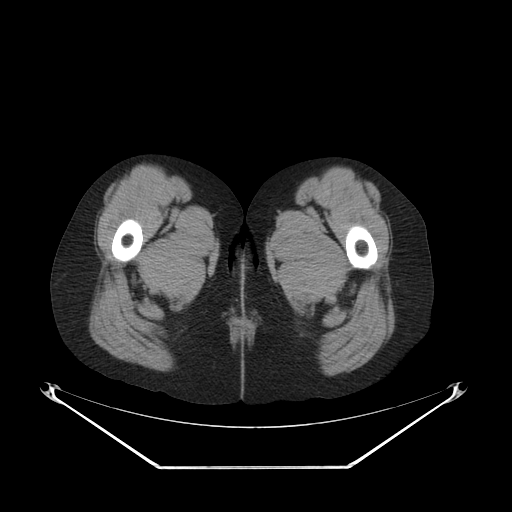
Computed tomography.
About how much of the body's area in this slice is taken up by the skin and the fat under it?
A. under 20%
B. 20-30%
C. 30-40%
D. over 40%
Answer: D. over 40%
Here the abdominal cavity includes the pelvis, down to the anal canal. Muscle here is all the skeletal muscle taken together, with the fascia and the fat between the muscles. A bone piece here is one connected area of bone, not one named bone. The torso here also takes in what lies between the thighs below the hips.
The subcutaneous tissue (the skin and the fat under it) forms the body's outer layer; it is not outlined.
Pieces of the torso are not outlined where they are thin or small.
{"bones":[[[354,225],[360,225],[361,226],[365,227],[371,234],[375,242],[375,245],[377,248],[377,259],[375,263],[373,264],[370,267],[370,268],[368,269],[358,269],[357,268],[354,268],[351,265],[346,254],[346,251],[345,250],[345,236],[349,228]],[[128,218],[134,219],[140,224],[142,229],[143,242],[139,252],[132,259],[126,262],[123,262],[122,261],[119,261],[116,259],[112,254],[112,252],[111,251],[111,243],[112,242],[112,238],[114,235],[114,233],[119,224],[122,221]]],"left_leg":[[[323,156],[349,157],[370,165],[393,183],[421,214],[434,278],[430,327],[393,371],[363,390],[334,399],[317,397],[248,405],[244,403],[242,347],[248,349],[255,344],[254,326],[247,308],[258,254],[254,235],[244,222],[245,214],[268,177],[288,165]]],"muscle":[{"outer":[[334,165],[350,167],[363,180],[372,182],[380,193],[380,208],[387,216],[392,232],[388,269],[395,327],[387,343],[363,365],[350,372],[315,377],[302,368],[297,358],[295,327],[270,282],[265,242],[277,211],[294,196],[300,183],[310,176],[320,175]],"hole":[[354,225],[360,225],[361,226],[365,227],[371,234],[375,242],[375,245],[377,248],[377,259],[375,263],[373,264],[370,267],[370,268],[368,269],[358,269],[357,268],[354,268],[351,265],[346,254],[346,251],[345,250],[345,236],[349,228]]},{"outer":[[140,163],[156,164],[182,177],[212,215],[219,237],[219,254],[214,275],[206,291],[194,308],[170,321],[169,340],[179,366],[170,372],[158,371],[113,356],[95,343],[88,330],[88,318],[101,265],[93,243],[95,221],[103,206],[103,196],[109,185]],"hole":[[128,218],[134,219],[140,224],[142,229],[143,242],[139,252],[132,259],[126,262],[123,262],[122,261],[119,261],[116,259],[112,254],[112,252],[111,251],[111,243],[112,242],[112,238],[114,235],[114,233],[119,224],[122,221]]},{"outer":[[235,315],[250,315],[251,316],[254,316],[255,318],[255,321],[256,322],[256,326],[255,327],[254,338],[251,345],[249,345],[248,341],[247,340],[242,343],[238,341],[236,343],[235,347],[233,348],[233,346],[230,341],[230,325],[229,323],[231,319]],"hole":[[238,320],[244,320],[246,322],[248,322],[252,326],[251,327],[251,328],[250,329],[250,330],[249,331],[249,332],[248,333],[239,333],[238,332],[236,332],[235,331],[235,330],[234,329],[234,323],[236,321],[237,321]]}],"torso":[[[247,228],[253,235],[257,254],[250,298],[246,308],[246,315],[253,326],[254,344],[246,348],[242,346],[239,341],[236,341],[234,345],[230,347],[228,346],[229,321],[240,318],[242,309],[231,284],[229,250],[240,232],[240,243],[242,245],[245,242]]],"abdominal_cavity":[[[238,320],[244,320],[246,322],[248,322],[252,326],[251,327],[251,328],[250,329],[250,330],[249,331],[249,332],[248,333],[239,333],[238,332],[236,332],[235,331],[235,330],[234,329],[234,323],[236,321],[237,321]]],"right_leg":[[[149,152],[175,155],[205,167],[229,186],[241,205],[243,223],[228,250],[230,284],[241,315],[228,321],[227,346],[232,348],[236,342],[241,345],[243,402],[192,403],[109,378],[79,361],[56,328],[50,302],[50,272],[59,241],[79,200],[114,163]]]}